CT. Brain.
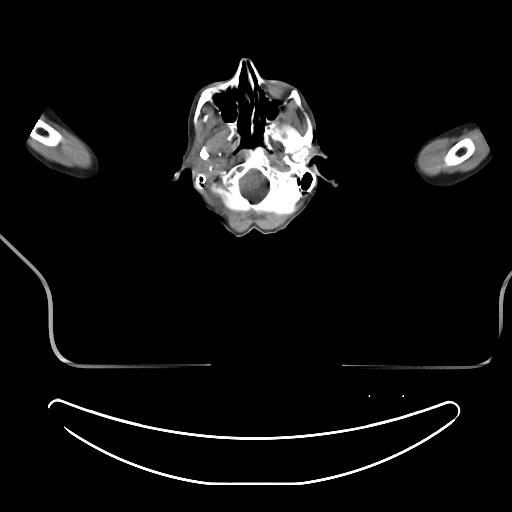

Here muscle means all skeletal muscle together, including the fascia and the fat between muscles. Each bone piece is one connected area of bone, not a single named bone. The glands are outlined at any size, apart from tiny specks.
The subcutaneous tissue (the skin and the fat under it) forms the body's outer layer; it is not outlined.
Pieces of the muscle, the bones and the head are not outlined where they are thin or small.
Outlined structures:
brain: (252, 169) (255, 169) (257, 170) (265, 178) (265, 180) (266, 181) (266, 191) (265, 193) (259, 199) (258, 199) (256, 201) (253, 201) (251, 199) (250, 199) (249, 197) (245, 195) (242, 192) (242, 190) (240, 186) (240, 180) (243, 177) (243, 176) (244, 176) (250, 170)
muscle 1: (206, 103) (210, 104) (225, 122) (225, 140) (232, 144) (232, 154) (235, 156) (242, 149) (248, 152) (245, 159) (226, 170) (220, 170) (217, 173) (220, 182) (213, 182) (209, 189) (219, 196) (228, 210) (233, 212) (253, 211) (258, 215) (272, 214) (277, 217) (291, 215) (279, 225) (265, 229) (252, 224) (243, 231) (236, 231) (229, 225) (226, 217) (207, 201) (202, 190) (208, 177) (204, 172) (195, 173) (196, 157) (191, 153) (193, 126) (197, 125) with a hole at (204, 145) (205, 145) (206, 146) (206, 149) (207, 150) (207, 151) (209, 154) (209, 156) (208, 157) (208, 158) (206, 160) (205, 160) (204, 159) (202, 159) (200, 157) (200, 156) (199, 155) (199, 153) (200, 152) (200, 150) (201, 149) (202, 146) (203, 146)
muscle 2: (465, 129) (476, 129) (483, 138) (487, 147) (487, 154) (478, 165) (471, 170) (466, 172) (456, 172) (455, 173) (446, 173) (445, 172) (442, 172) (433, 176) (430, 176) (425, 174) (419, 168) (418, 166) (418, 158) (419, 155) (421, 151) (429, 143) (440, 138) (457, 136); inner edge: (465, 137) (469, 137) (474, 143) (474, 145) (475, 146) (475, 149) (473, 153) (465, 160) (464, 160) (462, 162) (456, 165) (453, 165) (452, 166) (447, 166) (445, 165) (444, 163) (444, 157) (447, 153) (448, 150) (458, 141) (459, 141) (461, 139)
muscle 3: (43, 117) (48, 118) (67, 130) (86, 146) (92, 156) (92, 165) (90, 167) (88, 168) (82, 168) (78, 166) (70, 167) (49, 160) (36, 151) (30, 145) (29, 143) (30, 138) (32, 138) (48, 147) (55, 147) (64, 140) (63, 135) (58, 130) (46, 122) (42, 118)
muscle 4: (291, 100) (292, 100) (294, 102) (296, 106) (301, 111) (303, 115) (303, 117) (304, 118) (304, 120) (306, 124) (306, 130) (303, 134) (301, 134) (300, 132) (291, 124) (287, 122) (283, 122) (279, 120) (282, 116) (282, 108) (284, 108) (286, 106) (287, 106) (289, 102)
muscle 5: (272, 142) (278, 142) (280, 143) (282, 147) (282, 155) (281, 156) (281, 160) (283, 163) (288, 167) (288, 168) (280, 168) (277, 165) (276, 165) (276, 164) (274, 163) (270, 158) (270, 156) (267, 153) (267, 152) (268, 151) (269, 152) (271, 152) (274, 150) (274, 147)
muscle 6: (308, 194) (308, 195) (307, 196) (307, 197) (306, 197) (305, 198) (305, 199) (303, 201) (303, 202) (301, 204) (301, 205) (297, 209) (297, 208) (296, 207) (296, 205) (297, 204) (297, 203) (302, 198) (303, 198) (306, 195) (307, 195)
right arm: (47, 107) (51, 107) (58, 115) (81, 136) (94, 150) (99, 160) (99, 171) (95, 178) (92, 180) (90, 181) (80, 181) (77, 179) (69, 177) (66, 175) (49, 169) (39, 162) (26, 150) (25, 148) (25, 143) (30, 135) (30, 132) (35, 123) (40, 117) (41, 114)
head: (244, 56) (263, 78) (284, 80) (304, 95) (326, 155) (316, 155) (309, 163) (325, 177) (334, 177) (337, 186) (318, 176) (315, 194) (287, 227) (268, 234) (252, 229) (237, 237) (204, 206) (189, 170) (171, 180) (186, 149) (194, 95) (210, 82) (229, 79); inner edges: (244, 65) (250, 90) (254, 92) (256, 88) (251, 70) (262, 95) (270, 102) (277, 100) (278, 105) (274, 117) (264, 117) (261, 143) (254, 148) (242, 148) (234, 155) (233, 152) (241, 143) (239, 102) (237, 99) (234, 101) (236, 117) (226, 121) (214, 97) (239, 87), then (307, 172) (309, 172) (310, 173) (310, 175) (312, 177) (312, 180) (311, 181) (311, 182) (310, 183) (310, 184) (308, 186) (308, 187) (306, 189) (303, 189) (301, 187) (301, 183) (302, 182) (302, 179) (303, 178) (303, 176) (304, 175) (304, 174) (305, 173) (306, 173)
parotid glands: (192, 153) (193, 154) (194, 155) (194, 156) (195, 157) (195, 158) (195, 159) (195, 160) (195, 161) (195, 162) (194, 163) (193, 163) (193, 162) (192, 161) (191, 160) (190, 159) (190, 158) (190, 157) (190, 156) (190, 155) (190, 154) (191, 154)
left arm: (471, 120) (476, 123) (481, 131) (481, 133) (483, 134) (483, 136) (485, 138) (492, 154) (492, 159) (478, 173) (455, 185) (449, 187) (437, 188) (432, 187) (425, 183) (415, 172) (413, 166) (414, 156) (419, 147) (425, 141) (437, 134) (439, 134) (454, 126)
bones 1: (292, 89) (297, 90) (302, 108) (311, 121) (310, 151) (313, 155) (309, 165) (316, 166) (319, 172) (316, 185) (288, 215) (228, 209) (210, 186) (221, 182) (220, 171) (226, 171) (248, 157) (246, 148) (254, 149) (262, 143) (265, 117) (271, 119) (276, 116) (279, 101); inner edges: (252, 169) (255, 169) (257, 170) (265, 178) (265, 180) (266, 181) (266, 191) (265, 193) (259, 199) (258, 199) (256, 201) (253, 201) (251, 199) (250, 199) (249, 197) (245, 195) (242, 192) (242, 190) (240, 186) (240, 180) (243, 177) (243, 176) (244, 176) (250, 170), then (291, 100) (292, 100) (294, 102) (296, 106) (301, 111) (303, 115) (303, 117) (304, 118) (304, 120) (306, 124) (306, 130) (303, 134) (301, 134) (300, 132) (291, 124) (287, 122) (283, 122) (279, 120) (282, 116) (282, 108) (284, 108) (286, 106) (287, 106) (289, 102), then (272, 142) (278, 142) (280, 143) (282, 147) (282, 155) (281, 156) (281, 160) (283, 163) (288, 167) (288, 168) (280, 168) (277, 165) (276, 165) (276, 164) (274, 163) (270, 158) (270, 156) (267, 153) (267, 152) (268, 151) (269, 152) (271, 152) (274, 150) (274, 147), then (307, 172) (309, 172) (310, 173) (310, 175) (312, 177) (312, 180) (311, 181) (311, 182) (310, 183) (310, 184) (308, 186) (308, 187) (306, 189) (303, 189) (301, 187) (301, 183) (302, 182) (302, 179) (303, 178) (303, 176) (304, 175) (304, 174) (305, 173) (306, 173)
bones 2: (240, 60) (251, 60) (258, 73) (266, 80) (266, 84) (275, 88) (279, 99) (270, 101) (263, 95) (251, 69) (255, 88) (254, 91) (251, 90) (244, 64) (240, 70) (238, 87) (213, 97) (221, 115) (206, 102) (194, 126) (192, 120) (202, 91) (229, 79) (235, 73)
bones 3: (465, 137) (469, 137) (474, 143) (474, 145) (475, 146) (475, 149) (473, 153) (465, 160) (464, 160) (462, 162) (456, 165) (453, 165) (452, 166) (447, 166) (445, 165) (444, 163) (444, 157) (447, 153) (448, 150) (458, 141) (459, 141) (461, 139)
bones 4: (39, 118) (41, 118) (46, 123) (47, 123) (53, 128) (54, 128) (57, 131) (58, 131) (62, 135) (63, 137) (63, 140) (55, 146) (48, 146) (34, 139) (32, 137) (30, 137) (29, 136) (30, 135) (30, 132) (32, 128) (34, 126) (35, 123)
bones 5: (236, 100) (238, 102) (238, 109) (239, 110) (237, 116) (238, 118) (237, 130) (240, 135) (240, 143) (234, 149) (233, 144) (231, 142) (226, 140) (226, 136) (228, 133) (228, 128) (226, 125) (226, 122) (232, 122) (237, 117) (237, 111) (236, 110) (237, 106) (235, 103)
bones 6: (194, 172) (194, 173) (195, 174) (196, 174) (197, 173) (204, 173) (206, 175) (206, 176) (207, 177) (206, 178) (206, 182) (202, 186) (202, 189) (201, 190) (200, 190) (199, 189) (198, 189) (197, 188) (196, 188) (194, 185) (194, 181) (195, 180) (195, 175) (194, 174)
bones 7: (252, 105) (254, 107) (255, 107) (255, 113) (254, 114) (254, 119) (253, 120) (253, 124) (254, 125) (254, 131) (253, 132) (253, 134) (252, 135) (250, 133) (250, 120) (251, 119) (251, 109) (252, 108)
bones 8: (204, 145) (205, 145) (206, 146) (206, 149) (207, 150) (207, 151) (209, 154) (209, 156) (208, 157) (208, 158) (206, 160) (205, 160) (204, 159) (202, 159) (200, 157) (200, 156) (199, 155) (199, 153) (200, 152) (200, 150) (201, 149) (202, 146) (203, 146)